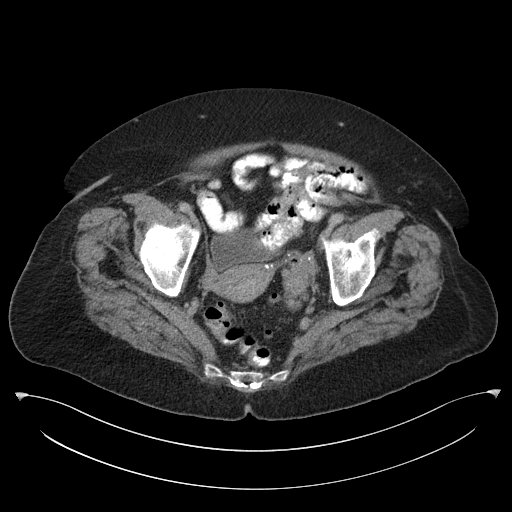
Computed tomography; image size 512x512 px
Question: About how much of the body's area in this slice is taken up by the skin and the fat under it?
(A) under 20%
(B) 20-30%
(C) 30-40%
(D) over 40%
Answer: (D) over 40%
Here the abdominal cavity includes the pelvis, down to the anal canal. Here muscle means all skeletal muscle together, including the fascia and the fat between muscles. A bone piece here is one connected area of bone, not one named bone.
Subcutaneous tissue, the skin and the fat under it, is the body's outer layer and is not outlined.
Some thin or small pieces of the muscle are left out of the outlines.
Outlined structures:
bones 1: 155 221; 160 224; 171 227; 177 226; 181 223; 188 223; 193 227; 196 227; 200 230; 200 236; 185 273; 180 291; 178 295; 175 297; 170 297; 154 287; 151 280; 146 274; 139 258; 138 254; 140 246; 144 239; 144 235; 151 224
bones 2: 372 228; 376 228; 380 233; 380 238; 377 241; 375 246; 375 265; 376 266; 375 273; 360 297; 343 306; 339 306; 333 301; 330 292; 329 273; 326 262; 323 239; 328 240; 331 238; 340 238; 345 241; 351 242
bones 3: 205 363; 214 364; 227 374; 230 370; 238 371; 252 370; 263 372; 266 377; 276 371; 283 369; 289 370; 289 374; 286 379; 283 381; 266 379; 258 389; 254 391; 245 391; 242 388; 233 385; 225 377; 218 376; 207 377; 204 374
abdominal cavity: 267 146; 359 172; 371 189; 365 201; 373 208; 351 216; 330 238; 322 239; 329 282; 328 309; 295 337; 282 363; 264 371; 226 369; 206 331; 181 302; 201 230; 152 192; 174 179; 197 181; 209 176; 213 167; 227 159
torso: 234 87; 298 89; 348 101; 397 127; 448 171; 470 212; 467 228; 454 231; 459 250; 487 280; 497 308; 496 333; 485 350; 378 399; 274 421; 171 413; 21 355; 8 325; 11 294; 40 232; 71 198; 62 181; 75 159; 150 108
muscle: 269 138; 335 151; 363 164; 387 202; 408 208; 434 228; 441 241; 444 281; 434 309; 411 331; 316 365; 285 386; 247 394; 200 382; 178 363; 143 352; 100 329; 85 313; 69 250; 78 219; 88 208; 108 197; 145 189; 204 151; inner edge: 267 146; 359 172; 373 208; 330 236; 376 228; 380 238; 361 296; 339 306; 329 292; 327 311; 263 372; 287 369; 286 379; 245 391; 204 374; 205 363; 230 370; 181 302; 190 266; 170 297; 138 254; 153 222; 189 222; 154 190